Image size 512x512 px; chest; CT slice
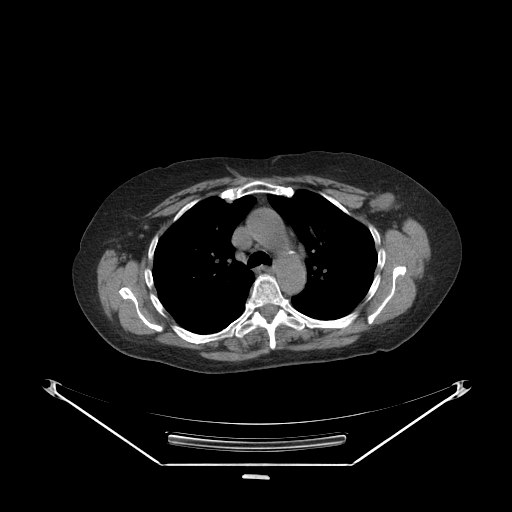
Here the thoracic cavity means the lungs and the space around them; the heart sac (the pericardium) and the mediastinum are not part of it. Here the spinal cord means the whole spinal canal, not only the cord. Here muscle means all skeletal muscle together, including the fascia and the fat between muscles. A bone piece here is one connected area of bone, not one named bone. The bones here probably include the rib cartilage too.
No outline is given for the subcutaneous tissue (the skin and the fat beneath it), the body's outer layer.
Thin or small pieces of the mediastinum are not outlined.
The bones appear in 12 outlined pieces: piece 1: 260,274 273,276 291,305 309,317 333,320 354,310 359,314 343,328 306,326 297,330 280,324 275,329 273,350 268,333 262,327 242,337 233,335 204,343 186,341 171,324 198,334 223,329 244,311 255,278 with a hole at 266,304 272,304 273,305 274,305 277,307 277,310 276,311 276,313 274,315 274,316 272,318 272,319 270,321 268,321 262,315 262,314 260,311 260,308; piece 2: 254,180 263,180 266,182 275,185 290,186 294,189 294,193 292,196 287,197 284,195 277,195 276,194 259,192 258,193 247,194 229,202 225,199 221,198 218,195 222,191 228,188 241,186 248,182; piece 3: 398,265 404,265 406,268 406,271 403,275 399,275 396,278 395,281 395,289 393,295 386,303 381,311 376,316 372,323 369,324 367,322 367,317 379,306 390,292 392,286 392,273 393,272 393,268 395,266; piece 4: 124,286 128,287 135,296 138,303 138,307 141,313 150,322 152,323 155,323 162,326 163,327 163,330 162,331 156,331 148,327 140,319 137,314 134,303 128,298 124,299 119,294 119,290 120,288; piece 5: 377,273 379,273 380,274 380,281 379,282 379,284 378,285 374,294 371,297 371,298 370,299 369,299 366,302 365,302 365,300 364,299 364,298 372,283 372,281 374,278 374,276 375,275 375,274 376,274; piece 6: 318,191 322,191 324,193 334,198 343,206 344,206 350,212 351,215 348,215 346,213 342,211 338,207 337,207 330,201 329,201 327,199 326,199 324,197 320,195 317,192; piece 7: 151,292 152,292 157,296 158,299 160,301 160,302 164,307 164,308 165,309 165,314 166,315 166,316 163,316 160,313 159,313 157,311 157,310 153,305 153,304 150,299 150,297 149,296 149,295; piece 8: 197,198 199,198 200,199 200,200 194,205 193,205 189,209 188,209 185,212 184,212 174,222 173,222 173,221 172,220 173,219 173,217 176,214 176,213 184,205 185,205 190,201 191,201 194,199 196,199; piece 9: 155,234 157,234 159,237 158,238 158,241 156,244 156,246 155,247 155,249 154,250 154,253 153,254 153,259 152,260 152,261 150,261 148,258 148,248 149,247 149,245 151,242 151,240 152,239 153,236; piece 10: 379,248 383,248 384,249 384,250 385,251 385,261 384,262 384,264 383,265 383,266 382,267 382,268 381,269 378,269 376,267 376,266 377,265 377,250; piece 11: 146,268 150,268 151,269 151,272 152,273 152,277 153,278 153,284 154,285 154,286 151,289 150,289 148,287 148,286 146,284 146,282 145,281 145,278 144,277 144,270; piece 12: 369,224 370,224 375,229 375,230 379,234 379,236 380,237 380,243 379,244 379,245 378,245 377,246 376,246 375,245 375,243 374,242 374,240 373,239 373,237 372,236 372,235 371,234 369,229 367,227. The spinal cord is outlined by 266,304 272,304 273,305 274,305 277,307 277,310 276,311 276,313 274,315 274,316 272,318 272,319 270,321 268,321 262,315 262,314 260,311 260,308. The torso is outlined by 309,150 351,152 389,164 422,184 451,212 462,241 461,265 447,295 413,336 392,350 342,360 237,373 206,374 128,356 113,348 97,333 76,300 71,267 86,226 111,191 145,170 180,160 211,156 265,158. The mediastinum is outlined by 259,193 267,194 267,199 271,207 292,228 305,249 306,258 304,262 306,282 303,289 290,299 284,295 278,281 273,275 260,273 255,277 254,273 237,259 236,250 231,242 234,229 256,203 256,198 253,194. The muscle is outlined by 305,174 373,192 424,227 430,259 412,305 404,313 341,347 274,350 280,325 297,331 350,325 360,314 356,306 370,300 380,284 381,274 375,270 383,268 386,251 376,249 381,237 370,223 366,226 355,219 322,190 254,179 184,204 169,227 160,236 152,236 147,248 152,267 143,270 143,277 147,287 156,291 148,295 152,305 163,317 166,311 171,315 176,323 170,328 184,341 204,344 242,338 262,328 271,351 242,361 220,361 189,348 131,341 119,332 104,312 97,290 97,266 109,245 140,228 149,217 145,215 167,197 196,183 236,175, around holes outlined by 398,265 404,265 406,268 406,271 403,275 399,275 396,278 395,281 395,289 393,295 386,303 381,311 376,316 372,323 369,324 367,322 367,317 379,306 390,292 392,286 392,273 393,272 393,268 395,266 and by 124,286 128,287 135,296 138,303 138,307 141,313 150,322 152,323 155,323 162,326 163,327 163,330 162,331 156,331 148,327 140,319 137,314 134,303 128,298 124,299 119,294 119,290 120,288. The thoracic cavity appears in 2 outlined pieces: piece 1: 247,195 252,195 255,198 255,203 235,226 230,236 236,259 254,275 249,295 244,303 244,309 226,326 214,332 198,333 184,328 166,310 157,295 152,268 159,238 184,213 201,200 211,196 218,196 231,203; piece 2: 299,189 317,193 361,223 368,229 375,246 374,275 364,297 352,311 337,318 320,319 309,316 296,309 290,300 299,294 306,285 305,261 307,253 304,244 293,228 272,207 268,194 290,198 294,195 295,190.